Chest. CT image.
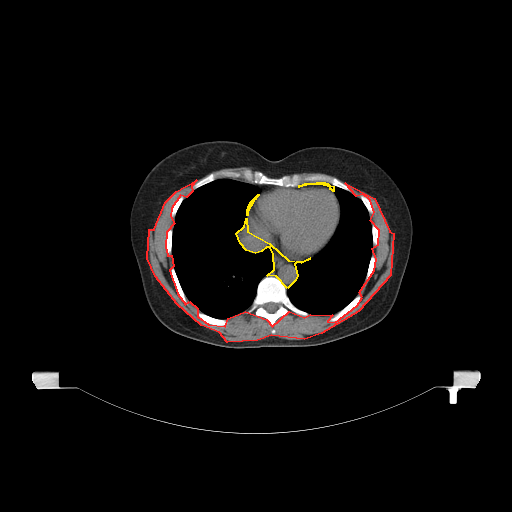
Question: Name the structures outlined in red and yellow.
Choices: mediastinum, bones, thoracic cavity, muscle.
Answer: red: muscle; yellow: mediastinum.
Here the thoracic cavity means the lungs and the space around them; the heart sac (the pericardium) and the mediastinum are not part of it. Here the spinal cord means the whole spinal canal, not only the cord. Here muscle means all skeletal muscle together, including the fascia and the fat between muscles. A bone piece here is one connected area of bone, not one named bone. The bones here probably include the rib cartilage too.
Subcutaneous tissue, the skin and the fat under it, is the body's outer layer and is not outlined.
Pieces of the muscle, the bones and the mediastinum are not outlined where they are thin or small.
Outlines (x, y in pixels):
muscle: 196 180; 191 186; 192 191; 186 197; 180 195; 171 208; 170 216; 174 223; 166 232; 165 246; 167 255; 171 255; 173 266; 169 270; 177 293; 185 304; 189 301; 197 308; 197 316; 208 324; 225 326; 228 318; 245 311; 266 319; 272 326; 289 311; 304 317; 310 314; 332 315; 327 321; 335 322; 357 305; 362 297; 359 292; 374 270; 376 259; 372 248; 378 244; 379 230; 370 220; 374 212; 370 200; 363 194; 356 196; 345 183; 374 198; 389 231; 393 233; 390 275; 358 311; 321 333; 304 339; 271 335; 257 340; 227 342; 219 332; 201 325; 177 304; 155 276; 147 258; 149 229; 154 229; 165 202; 176 191
mediastinum 1: 246 218; 247 231; 269 243; 288 260; 301 262; 310 258; 302 262; 296 262; 294 264; 297 275; 295 280; 287 288; 276 276; 267 275; 274 269; 273 254; 270 247; 266 247; 261 251; 255 253; 246 250; 240 243; 236 233; 244 226
mediastinum 2: 317 182; 324 182; 325 183; 327 183; 328 184; 333 186; 333 191; 331 189; 330 189; 330 187; 329 186; 328 186; 327 185; 324 185; 323 184; 306 184; 305 185; 302 185; 301 186; 298 186; 299 186; 300 185; 302 184; 304 184; 305 183; 316 183
mediastinum 3: 258 194; 258 195; 255 198; 255 199; 254 199; 253 200; 253 201; 252 202; 252 203; 251 204; 251 205; 249 207; 249 208; 248 209; 248 210; 247 211; 247 215; 247 209; 248 208; 248 206; 249 205; 249 204; 250 203; 250 202
torso: 211 140; 241 142; 270 160; 281 159; 309 146; 341 147; 368 157; 389 174; 407 202; 413 234; 400 289; 385 318; 363 331; 320 345; 228 348; 177 334; 154 316; 144 295; 130 241; 129 218; 132 203; 143 179; 162 158; 182 147
pericardium: 306 185; 323 185; 329 187; 329 189; 335 194; 339 202; 340 216; 339 222; 329 241; 319 251; 310 257; 301 261; 297 261; 288 259; 282 255; 269 242; 264 240; 256 234; 248 231; 247 216; 250 207; 260 192; 271 187; 297 188
thoracic cavity 1: 222 178; 250 183; 259 189; 259 192; 249 202; 244 224; 235 236; 241 246; 250 253; 255 254; 270 248; 273 264; 273 269; 258 282; 250 306; 227 318; 211 316; 201 311; 188 299; 180 284; 172 259; 173 228; 180 205; 194 190
thoracic cavity 2: 334 187; 350 192; 365 206; 371 224; 371 255; 363 283; 358 293; 345 306; 335 313; 329 315; 316 315; 298 308; 289 298; 287 289; 296 280; 298 275; 295 264; 305 262; 315 256; 325 247; 336 231; 340 222; 341 205; 334 191
bones 1: 247 169; 260 171; 269 177; 280 177; 295 173; 302 177; 312 174; 325 174; 346 184; 350 187; 351 192; 324 181; 304 182; 295 187; 285 187; 251 183; 241 177; 236 179; 217 178; 192 190; 195 183; 212 172; 227 170; 241 173
bones 2: 265 276; 273 276; 279 279; 285 286; 286 294; 290 301; 298 309; 309 314; 307 316; 304 316; 299 315; 289 310; 287 314; 280 316; 272 325; 266 318; 256 315; 253 311; 250 313; 247 313; 246 311; 251 306; 256 296; 258 284, around a hole outlined by 268 302; 273 302; 274 303; 276 303; 278 305; 278 307; 277 308; 277 309; 275 311; 274 311; 273 312; 269 312; 268 311; 267 311; 265 309; 265 308; 264 307; 264 305; 266 303; 267 303
bones 3: 358 294; 360 294; 361 295; 361 297; 359 301; 356 304; 356 305; 347 314; 346 314; 341 318; 335 321; 328 321; 328 319; 330 317; 331 317; 334 314; 335 314; 337 312; 341 310; 344 307; 345 307
bones 4: 198 311; 200 311; 201 312; 202 312; 211 317; 213 317; 214 318; 217 318; 218 319; 226 319; 227 320; 227 323; 225 325; 214 325; 213 324; 208 323; 204 320; 203 320; 201 318; 200 318; 198 316; 198 315; 197 314; 197 312
bones 5: 171 267; 173 267; 174 268; 174 270; 175 271; 177 279; 179 282; 179 284; 185 296; 188 300; 188 303; 185 303; 183 301; 183 300; 181 298; 180 295; 178 293; 175 287; 175 285; 174 284; 174 282; 172 278; 171 271; 170 270
bones 6: 372 255; 374 256; 374 258; 375 259; 374 261; 374 265; 373 266; 373 270; 371 273; 371 276; 369 280; 366 284; 364 284; 364 281; 365 280; 365 278; 367 274; 367 271; 368 270; 368 267; 369 266; 370 259
bones 7: 169 229; 172 229; 172 235; 171 236; 171 254; 170 255; 168 255; 168 254; 167 253; 167 247; 166 246; 166 238; 167 237; 167 232; 168 231; 168 230
bones 8: 372 224; 375 224; 377 226; 377 229; 378 230; 378 241; 377 242; 377 244; 376 245; 376 246; 373 246; 373 238; 372 237
bones 9: 360 195; 363 195; 364 196; 365 196; 369 200; 369 201; 371 203; 371 205; 372 206; 372 209; 373 210; 373 212; 371 214; 370 214; 369 213; 369 212; 368 211; 368 210; 367 209; 366 206; 363 203; 363 202; 359 198
bones 10: 180 196; 183 196; 184 197; 184 198; 183 199; 183 200; 181 202; 181 203; 179 205; 179 206; 176 211; 176 213; 175 214; 174 217; 172 217; 171 216; 171 212; 172 211; 172 208; 173 207; 173 206; 174 205; 176 200
spinal cord: 268 302; 273 302; 274 303; 276 303; 278 305; 278 307; 277 308; 277 309; 275 311; 274 311; 273 312; 269 312; 268 311; 267 311; 265 309; 265 308; 264 307; 264 305; 266 303; 267 303